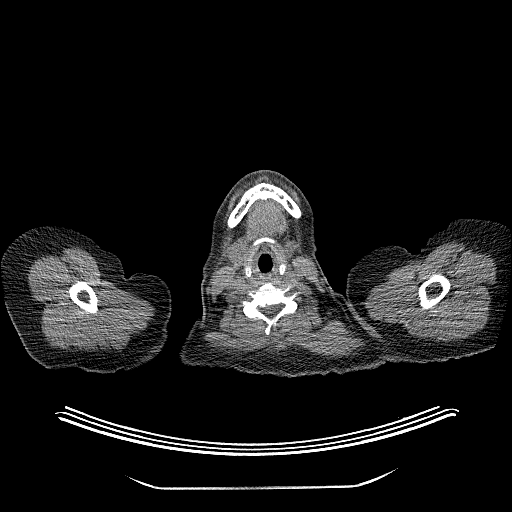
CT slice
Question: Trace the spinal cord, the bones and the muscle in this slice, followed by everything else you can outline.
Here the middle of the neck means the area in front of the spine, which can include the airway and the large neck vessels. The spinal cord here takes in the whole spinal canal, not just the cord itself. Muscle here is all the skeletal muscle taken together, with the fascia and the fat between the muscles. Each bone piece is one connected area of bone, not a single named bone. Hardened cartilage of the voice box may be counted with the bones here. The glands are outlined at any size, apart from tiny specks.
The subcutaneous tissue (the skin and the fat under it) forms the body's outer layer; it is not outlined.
Answer: Outlined structures:
spinal cord: [[277,304],[281,304],[282,305],[282,306],[281,307],[281,308],[274,315],[273,315],[272,316],[268,316],[267,315],[266,315],[264,313],[263,313],[260,310],[260,308],[264,308],[266,306],[269,306],[270,305],[276,305]]
bones 1: [[266,282],[271,282],[280,288],[284,288],[290,283],[293,285],[290,291],[298,292],[294,299],[297,303],[296,310],[293,313],[281,316],[269,334],[265,332],[266,322],[259,318],[247,317],[243,312],[241,303],[246,298],[245,293],[247,291],[255,290]]; inner edge: [[277,304],[281,304],[282,305],[282,306],[281,307],[281,308],[274,315],[273,315],[272,316],[268,316],[267,315],[266,315],[264,313],[263,313],[260,310],[260,308],[264,308],[266,306],[269,306],[270,305],[276,305]]
bones 2: [[261,182],[272,183],[284,190],[299,207],[302,213],[301,217],[299,218],[293,217],[279,202],[272,198],[267,198],[266,199],[259,198],[255,200],[250,205],[246,213],[240,221],[234,227],[229,228],[227,225],[227,220],[229,215],[244,192],[248,188]]
bones 3: [[435,273],[440,273],[446,276],[449,279],[449,281],[450,282],[450,288],[447,292],[447,293],[435,305],[434,305],[429,309],[426,309],[425,310],[421,310],[420,309],[419,303],[417,299],[417,290],[419,286],[425,280],[426,280],[431,275]]
bones 4: [[78,280],[81,280],[82,281],[85,281],[87,282],[92,287],[93,290],[95,292],[96,296],[98,299],[98,309],[97,310],[97,312],[95,314],[93,314],[92,313],[86,313],[84,312],[84,311],[77,304],[76,304],[69,296],[68,288],[72,284]]
bones 5: [[264,236],[270,237],[275,241],[274,246],[283,258],[286,265],[285,272],[280,274],[280,261],[272,248],[272,244],[268,241],[264,241],[257,246],[252,256],[250,263],[252,271],[251,275],[247,277],[244,272],[244,263],[246,258],[253,248],[253,242]]
muscle 1: [[261,175],[278,178],[297,193],[305,211],[305,223],[303,228],[304,249],[315,264],[319,277],[326,291],[343,307],[351,318],[355,328],[368,342],[370,346],[369,349],[357,355],[329,358],[315,354],[302,347],[289,347],[287,349],[269,354],[225,354],[204,345],[202,335],[210,323],[206,285],[211,276],[216,257],[219,253],[218,249],[221,240],[220,234],[222,231],[221,222],[223,216],[235,191],[246,181]], around holes outlined by [[264,236],[275,241],[285,271],[291,269],[297,274],[294,281],[271,282],[280,288],[290,283],[290,291],[298,292],[296,310],[281,316],[269,334],[265,332],[266,322],[247,317],[241,303],[247,291],[261,284],[233,284],[236,276],[244,274],[253,242]] and by [[261,182],[272,183],[284,190],[299,207],[302,213],[301,217],[299,218],[293,217],[279,202],[272,198],[267,198],[266,199],[259,198],[255,200],[250,205],[246,213],[240,221],[234,227],[229,228],[227,225],[227,220],[229,215],[244,192],[248,188]] and by [[236,241],[239,241],[241,242],[241,243],[243,245],[243,250],[242,251],[242,253],[241,254],[241,257],[240,259],[238,261],[233,262],[231,261],[226,255],[226,251],[227,250],[227,248],[228,246],[233,242],[235,242]] and by [[293,241],[296,241],[296,242],[297,243],[298,243],[298,244],[299,245],[297,247],[297,252],[295,254],[294,254],[292,256],[290,256],[287,253],[287,251],[286,250],[286,242],[292,242]]
muscle 2: [[68,244],[77,245],[89,252],[98,262],[106,279],[124,290],[149,300],[155,306],[156,311],[151,322],[124,349],[109,352],[66,351],[52,347],[45,339],[41,330],[40,314],[37,311],[39,308],[31,297],[25,272],[38,257],[44,254],[55,254]], around a hole outlined by [[78,280],[81,280],[82,281],[85,281],[87,282],[92,287],[93,290],[95,292],[96,296],[98,299],[98,309],[97,310],[97,312],[95,314],[93,314],[92,313],[86,313],[84,312],[84,311],[77,304],[76,304],[69,296],[68,288],[72,284]]
muscle 3: [[446,242],[466,246],[485,254],[497,263],[498,270],[496,282],[491,292],[489,318],[482,329],[463,339],[433,341],[418,339],[403,329],[395,328],[394,325],[388,325],[368,315],[365,298],[369,290],[383,280],[386,273],[411,260],[423,260],[435,247]]; inner edge: [[435,273],[440,273],[446,276],[449,279],[449,281],[450,282],[450,288],[447,292],[447,293],[435,305],[434,305],[429,309],[426,309],[425,310],[421,310],[420,309],[419,303],[417,299],[417,290],[419,286],[425,280],[426,280],[431,275]]
submandibular glands 1: [[236,241],[239,241],[241,242],[241,243],[243,245],[243,250],[242,251],[242,253],[241,254],[241,257],[240,259],[238,261],[233,262],[231,261],[226,255],[226,251],[227,250],[227,248],[228,246],[233,242],[235,242]]
submandibular glands 2: [[293,241],[296,241],[296,242],[297,243],[298,243],[298,244],[299,245],[297,247],[297,252],[295,254],[294,254],[292,256],[290,256],[287,253],[287,251],[286,250],[286,242],[292,242]]
right arm: [[43,225],[63,226],[88,236],[102,249],[119,258],[126,277],[142,271],[153,273],[165,281],[171,293],[172,311],[167,324],[167,340],[155,358],[134,369],[103,374],[72,366],[48,369],[28,355],[6,309],[1,261],[6,247],[16,237],[30,228]]
middle of the neck: [[264,242],[271,244],[271,248],[279,261],[279,274],[283,275],[288,269],[291,269],[297,274],[297,279],[294,281],[275,280],[262,283],[253,282],[241,286],[234,285],[233,280],[236,276],[244,273],[249,278],[252,275],[251,263],[253,256],[258,246]]
torso 1: [[335,291],[342,294],[345,294],[345,297],[353,314],[362,325],[390,352],[401,360],[406,362],[399,362],[398,363],[387,362],[374,369],[352,371],[344,374],[337,374],[336,373],[329,373],[326,375],[317,374],[329,360],[330,356],[332,354],[335,343]]
torso 2: [[202,314],[204,320],[206,322],[208,327],[212,332],[213,335],[224,349],[225,352],[237,365],[247,373],[238,372],[233,369],[220,369],[219,368],[210,368],[209,367],[190,367],[189,366],[183,365],[179,361],[178,358],[178,352],[180,346],[195,320]]
head and neck: [[258,169],[271,169],[286,176],[303,192],[313,211],[316,257],[329,284],[334,290],[334,343],[328,360],[314,375],[279,377],[248,373],[226,352],[209,327],[202,313],[200,288],[202,268],[210,249],[212,222],[214,216],[224,197],[236,181],[246,173]]
left arm: [[457,218],[483,218],[495,220],[508,226],[510,243],[509,285],[505,309],[494,346],[486,351],[470,356],[451,358],[441,362],[408,363],[382,344],[354,314],[345,293],[347,273],[358,259],[380,246],[399,245],[416,254],[434,233],[444,229],[450,221]]